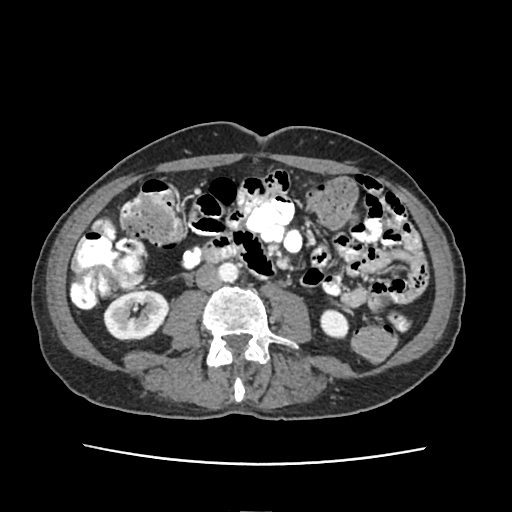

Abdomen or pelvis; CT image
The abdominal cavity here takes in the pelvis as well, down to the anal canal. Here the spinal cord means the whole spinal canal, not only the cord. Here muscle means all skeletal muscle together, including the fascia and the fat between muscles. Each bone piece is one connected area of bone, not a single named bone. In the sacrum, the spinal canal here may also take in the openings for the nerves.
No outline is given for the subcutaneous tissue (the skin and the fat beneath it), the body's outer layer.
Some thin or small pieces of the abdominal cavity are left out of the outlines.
Outlined structures:
torso: 285 421; 369 411; 407 393; 433 373; 451 351; 461 327; 463 257; 449 224; 411 175; 349 135; 308 125; 288 125; 260 134; 224 120; 178 129; 103 173; 47 234; 35 263; 30 294; 40 351; 68 389; 103 407; 177 419; 236 413
abdominal cavity: 360 370; 381 365; 419 331; 435 291; 421 231; 374 177; 320 174; 252 157; 152 175; 116 195; 74 246; 70 310; 117 363; 132 349; 169 347; 161 328; 183 291; 209 296; 238 285; 261 297; 272 281; 308 307; 314 337; 302 346
muscle: 207 411; 220 409; 230 404; 236 403; 241 404; 246 403; 264 411; 279 411; 283 409; 294 408; 313 401; 324 394; 333 385; 341 381; 349 379; 371 377; 387 372; 397 366; 402 364; 406 364; 418 359; 431 349; 442 337; 450 316; 450 311; 452 308; 455 293; 455 272; 452 254; 446 237; 430 211; 411 192; 400 185; 393 178; 369 169; 364 166; 329 159; 313 158; 291 154; 273 154; 266 152; 209 154; 157 163; 114 179; 103 185; 90 195; 78 206; 64 223; 54 241; 47 261; 46 298; 48 311; 61 342; 75 356; 80 357; 93 365; 109 371; 112 371; 146 395; 155 397; 165 402; 184 408; 206 410; inner edges: 360 370; 419 331; 435 291; 421 231; 374 177; 252 157; 152 175; 74 246; 70 310; 117 363; 169 347; 161 328; 187 289; 209 296; 208 366; 264 364; 272 342; 297 349; 269 328; 261 287; 272 281; 308 307; 314 337; 302 346, then 237 402; 240 402; 243 399; 243 398; 244 397; 244 393; 245 392; 245 390; 244 389; 244 387; 243 386; 242 381; 241 380; 241 379; 238 376; 237 376; 235 378; 235 380; 234 381; 234 383; 233 384; 233 387; 234 388; 234 398
bones 1: 215 367; 230 364; 234 360; 238 361; 243 358; 264 364; 270 358; 268 345; 272 342; 296 349; 299 346; 294 341; 275 334; 269 328; 266 308; 258 295; 249 288; 223 286; 209 297; 201 320; 212 337; 209 341; 206 363; 208 366; inner edge: 233 353; 239 353; 243 350; 244 350; 246 347; 247 342; 251 336; 248 334; 240 334; 239 335; 236 335; 235 334; 231 334; 230 335; 226 335; 224 336; 223 338; 226 341; 227 343; 226 344; 226 347; 227 347
bones 2: 237 402; 240 402; 243 399; 243 398; 244 397; 244 393; 245 392; 245 390; 244 389; 244 387; 243 386; 242 381; 241 380; 241 379; 238 376; 237 376; 235 378; 235 380; 234 381; 234 383; 233 384; 233 387; 234 388; 234 398
spinal cord: 233 353; 239 353; 243 350; 244 350; 246 347; 247 342; 251 336; 248 334; 240 334; 239 335; 236 335; 235 334; 231 334; 230 335; 226 335; 224 336; 223 338; 226 341; 227 343; 226 344; 226 347; 227 347